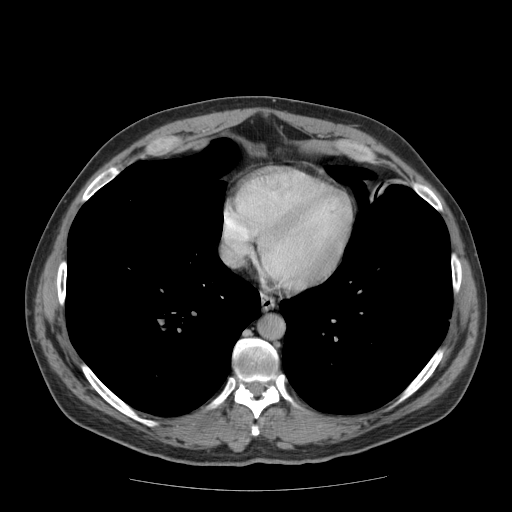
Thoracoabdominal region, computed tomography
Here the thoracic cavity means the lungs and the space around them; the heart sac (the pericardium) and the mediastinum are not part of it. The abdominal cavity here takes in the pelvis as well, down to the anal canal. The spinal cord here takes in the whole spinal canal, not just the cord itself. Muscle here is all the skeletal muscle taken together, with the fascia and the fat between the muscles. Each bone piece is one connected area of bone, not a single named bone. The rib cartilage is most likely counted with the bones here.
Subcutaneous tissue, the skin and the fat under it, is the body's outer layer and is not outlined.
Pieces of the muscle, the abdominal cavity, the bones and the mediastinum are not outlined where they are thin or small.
The muscle is outlined by [[252,107],[268,107],[277,110],[287,111],[294,114],[299,114],[304,116],[324,119],[335,123],[342,123],[346,125],[353,126],[355,128],[371,135],[381,142],[428,180],[440,193],[449,207],[458,226],[460,236],[464,244],[465,256],[470,264],[477,289],[477,296],[479,303],[478,333],[475,345],[467,364],[454,381],[441,395],[438,396],[426,405],[410,413],[408,413],[390,423],[381,425],[355,437],[331,444],[296,445],[294,449],[283,449],[271,444],[265,440],[260,440],[259,439],[252,440],[241,451],[233,451],[228,448],[224,443],[211,447],[208,449],[189,449],[183,447],[178,447],[154,439],[145,433],[139,431],[88,405],[79,399],[65,385],[59,376],[52,370],[42,350],[41,345],[37,339],[37,335],[35,330],[35,323],[34,322],[34,312],[33,311],[34,310],[34,298],[36,294],[40,274],[43,269],[44,263],[53,248],[53,244],[58,234],[62,218],[71,202],[86,181],[104,163],[136,140],[144,136],[152,130],[166,123],[179,119],[194,117],[213,112],[219,112],[233,109],[251,108]] with holes at [[257,115],[274,116],[321,140],[343,138],[361,142],[376,154],[376,164],[388,165],[409,184],[423,183],[435,193],[443,209],[439,213],[448,232],[450,249],[456,253],[462,269],[440,344],[444,347],[443,356],[425,382],[389,410],[385,410],[389,401],[367,412],[334,414],[319,411],[302,399],[304,408],[294,407],[281,397],[255,419],[247,406],[233,401],[231,394],[214,409],[201,410],[200,406],[177,416],[139,411],[142,417],[158,422],[149,427],[107,402],[80,368],[83,360],[71,341],[65,308],[57,294],[57,269],[60,261],[67,258],[70,228],[83,204],[81,198],[94,178],[110,166],[123,169],[141,159],[144,147],[153,139],[180,136],[181,143],[169,155]] and at [[254,423],[256,423],[257,424],[257,425],[258,426],[258,428],[259,429],[259,434],[258,435],[257,435],[256,436],[253,436],[251,434],[251,426]]. The mediastinum appears in 4 outlined pieces: piece 1: [[239,136],[251,143],[284,144],[311,156],[343,154],[358,163],[388,165],[409,184],[388,185],[370,204],[364,180],[378,178],[368,168],[327,165],[324,170],[330,177],[309,163],[271,155],[235,174],[225,199],[228,182],[220,179],[242,155],[235,144]]; piece 2: [[251,282],[255,282],[259,288],[266,293],[275,295],[280,298],[289,298],[284,298],[279,302],[279,311],[283,317],[286,325],[280,356],[276,348],[271,343],[260,337],[250,336],[239,338],[244,329],[259,316],[261,310],[261,300],[259,291]]; piece 3: [[196,144],[202,144],[203,146],[205,146],[204,146],[199,151],[195,153],[187,155],[185,157],[178,157],[177,156],[174,156],[173,157],[168,157],[167,158],[147,158],[148,157],[161,157],[162,156],[165,156],[166,155],[177,153],[178,152],[183,151]]; piece 4: [[341,184],[343,184],[344,185],[346,185],[348,186],[352,190],[353,192],[353,195],[354,196],[354,199],[356,202],[356,205],[359,210],[356,216],[356,204],[354,200],[354,197],[353,196],[352,195],[350,191],[345,186]]. The bones appear in 9 outlined pieces: piece 1: [[250,337],[260,338],[275,348],[280,357],[280,369],[287,378],[287,386],[304,408],[294,407],[281,397],[278,402],[266,406],[255,419],[247,406],[233,401],[231,394],[218,407],[201,410],[201,407],[221,390],[232,373],[232,351],[236,342],[241,338]], around a hole outlined by [[254,381],[258,381],[259,382],[261,382],[262,383],[264,383],[264,384],[265,385],[265,389],[260,394],[260,396],[258,396],[257,397],[256,397],[247,388],[247,384],[248,383],[250,383],[251,382],[253,382]]; piece 2: [[83,361],[90,368],[94,374],[114,394],[115,394],[120,399],[121,399],[133,409],[137,411],[142,417],[152,419],[155,421],[157,421],[158,422],[158,424],[153,427],[149,427],[127,416],[107,402],[92,387],[90,383],[83,374],[80,368],[80,364]]; piece 3: [[440,346],[443,346],[444,347],[444,353],[442,358],[440,360],[439,363],[435,368],[432,374],[425,381],[425,382],[410,396],[406,398],[403,401],[391,409],[389,410],[385,410],[391,402],[397,396],[398,396],[416,377],[416,376],[426,365],[434,353]]; piece 4: [[340,138],[347,139],[351,141],[361,142],[369,146],[377,156],[376,162],[375,163],[370,163],[369,162],[358,162],[357,161],[355,161],[334,147],[327,145],[325,143],[322,142],[321,141],[323,140],[326,140],[327,141],[334,141]]; piece 5: [[170,135],[178,135],[181,137],[182,141],[181,143],[177,147],[176,147],[168,153],[164,154],[163,155],[159,155],[158,156],[151,156],[150,155],[147,155],[143,158],[142,158],[140,156],[141,153],[144,149],[144,147],[150,141],[160,136],[169,136]]; piece 6: [[115,165],[119,165],[122,168],[121,171],[115,177],[114,177],[111,180],[110,180],[107,183],[102,186],[98,190],[97,190],[85,202],[82,203],[81,202],[81,198],[86,188],[94,179],[94,178],[103,170],[108,168],[110,166],[114,166]]; piece 7: [[412,181],[417,181],[418,182],[420,182],[421,183],[423,183],[427,185],[435,193],[435,194],[439,199],[441,203],[441,205],[442,206],[443,211],[442,212],[439,212],[437,210],[436,210],[431,205],[430,205],[424,199],[423,199],[410,186],[410,184]]; piece 8: [[62,259],[66,259],[66,280],[65,281],[65,302],[64,303],[64,307],[62,307],[60,305],[60,304],[59,303],[59,300],[58,299],[58,295],[57,294],[57,269],[58,268],[58,265],[59,264],[59,263],[60,262],[60,261]]; piece 9: [[453,251],[456,253],[457,256],[459,258],[460,260],[460,262],[461,263],[461,268],[462,269],[462,271],[461,272],[461,282],[459,286],[459,289],[458,290],[458,292],[456,294],[455,297],[453,297],[453,290],[452,289],[452,277],[451,276],[451,252]]. The pericardium is outlined by [[271,156],[281,156],[309,164],[345,187],[353,197],[355,204],[355,217],[351,234],[348,237],[339,265],[323,283],[290,297],[280,297],[266,292],[262,290],[255,281],[238,275],[224,263],[219,252],[223,239],[224,203],[232,184],[232,179],[251,164]]. The torso is outlined by [[239,95],[304,100],[374,118],[411,144],[459,205],[483,272],[487,325],[473,377],[458,404],[440,421],[367,451],[323,463],[200,467],[148,456],[92,433],[70,420],[55,403],[28,340],[24,290],[35,248],[57,203],[93,154],[129,124],[170,107]]. The spinal cord is outlined by [[254,381],[258,381],[259,382],[261,382],[262,383],[264,383],[264,384],[265,385],[265,389],[260,394],[260,396],[258,396],[257,397],[256,397],[247,388],[247,384],[248,383],[250,383],[251,382],[253,382]]. The abdominal cavity is outlined by [[257,115],[263,117],[274,116],[297,130],[322,140],[320,141],[322,143],[332,147],[336,153],[311,155],[291,145],[269,143],[268,141],[251,142],[241,135],[234,141],[228,137],[217,137],[210,140],[206,145],[196,143],[206,136],[235,126]]. The thoracic cavity appears in 2 outlined pieces: piece 1: [[217,138],[232,140],[241,152],[229,173],[219,179],[227,184],[218,256],[257,289],[260,310],[233,345],[231,373],[211,399],[185,414],[152,415],[136,410],[114,393],[82,359],[71,341],[65,313],[68,236],[82,205],[133,162],[144,158],[185,158]]; piece 2: [[333,165],[375,174],[376,179],[363,180],[370,205],[392,184],[409,186],[440,214],[451,250],[452,307],[440,345],[398,395],[355,414],[326,413],[310,406],[288,386],[281,369],[287,325],[280,302],[323,284],[334,273],[360,211],[353,190],[325,170]].